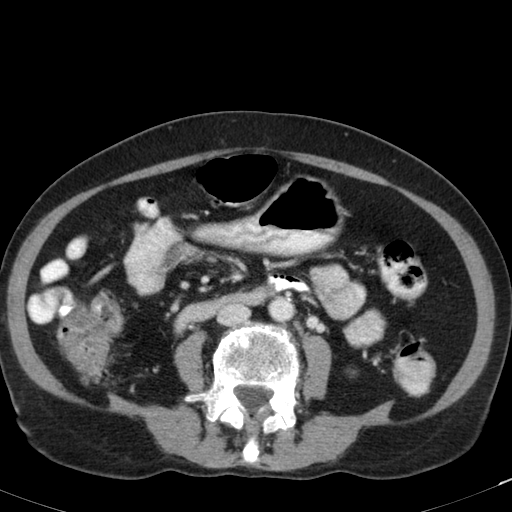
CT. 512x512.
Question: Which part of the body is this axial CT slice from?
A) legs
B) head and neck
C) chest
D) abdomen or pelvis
Answer: D) abdomen or pelvis
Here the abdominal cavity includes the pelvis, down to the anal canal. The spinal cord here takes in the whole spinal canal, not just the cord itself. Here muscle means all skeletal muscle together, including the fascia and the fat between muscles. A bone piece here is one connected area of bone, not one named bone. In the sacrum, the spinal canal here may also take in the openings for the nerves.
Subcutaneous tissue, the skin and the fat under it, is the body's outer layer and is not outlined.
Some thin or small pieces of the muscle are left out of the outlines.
{"torso":[[[241,109],[312,115],[381,137],[443,174],[490,229],[511,281],[511,337],[484,430],[459,458],[413,476],[383,480],[345,472],[294,480],[198,477],[171,470],[125,480],[60,465],[27,443],[0,371],[0,261],[16,226],[54,180],[94,153],[175,118]]],"muscle":[{"outer":[[237,146],[266,146],[280,150],[303,152],[331,158],[354,165],[375,173],[387,180],[401,186],[429,201],[431,201],[442,208],[461,224],[475,241],[484,259],[487,269],[491,276],[491,281],[493,286],[493,292],[495,299],[494,332],[488,360],[481,374],[475,381],[473,386],[464,395],[447,408],[442,410],[432,417],[416,424],[409,425],[406,427],[371,426],[364,429],[359,435],[357,440],[348,448],[345,454],[338,460],[327,466],[322,466],[317,468],[303,467],[288,471],[273,471],[272,470],[255,469],[254,468],[248,468],[244,466],[209,468],[188,461],[181,456],[173,454],[172,455],[166,454],[161,452],[155,444],[153,436],[149,432],[145,423],[142,420],[135,420],[127,416],[118,414],[109,414],[93,411],[90,409],[80,407],[75,404],[67,402],[41,389],[25,374],[24,371],[21,368],[14,352],[7,326],[6,295],[7,294],[8,278],[10,275],[17,252],[27,235],[38,223],[39,220],[56,206],[74,195],[127,173],[167,160],[171,160],[200,152],[215,149],[222,149],[228,147],[236,147]],"hole":[[241,149],[391,188],[447,233],[475,329],[430,407],[401,419],[393,398],[355,414],[322,408],[332,350],[305,335],[295,424],[264,434],[262,416],[251,464],[246,428],[210,421],[201,401],[108,391],[100,406],[44,362],[26,291],[60,221],[104,189]]},[[196,330],[204,331],[209,338],[205,343],[202,349],[202,352],[205,357],[210,358],[212,377],[211,378],[211,383],[210,385],[205,390],[200,392],[187,392],[186,386],[181,380],[178,374],[178,370],[174,363],[174,351],[180,342],[184,340],[190,334]]],"bones":[{"outer":[[248,322],[287,329],[301,364],[294,392],[298,402],[295,424],[264,434],[262,416],[251,431],[257,435],[259,448],[258,461],[252,464],[242,457],[248,435],[245,427],[238,430],[218,419],[210,421],[203,402],[183,399],[211,385],[211,356],[220,338]],"hole":[[239,385],[242,385],[243,386],[249,386],[250,387],[251,386],[259,386],[260,387],[263,387],[266,389],[270,389],[273,392],[273,393],[265,404],[260,405],[254,412],[251,413],[248,411],[247,408],[244,405],[243,405],[243,404],[234,393],[234,388]]}],"spinal_cord":[[[239,385],[242,385],[243,386],[249,386],[250,387],[251,386],[259,386],[260,387],[263,387],[266,389],[270,389],[273,392],[273,393],[265,404],[260,405],[254,412],[251,413],[248,411],[247,408],[244,405],[243,405],[243,404],[234,393],[234,388]]],"abdominal_cavity":[[[241,149],[391,188],[447,233],[475,329],[430,407],[322,408],[329,343],[305,335],[300,354],[287,328],[259,321],[224,331],[210,357],[204,330],[180,341],[186,392],[167,404],[108,391],[100,406],[44,362],[26,291],[60,221],[104,189]]]}